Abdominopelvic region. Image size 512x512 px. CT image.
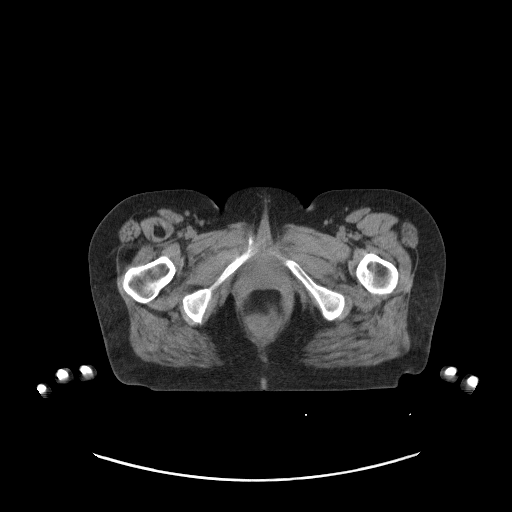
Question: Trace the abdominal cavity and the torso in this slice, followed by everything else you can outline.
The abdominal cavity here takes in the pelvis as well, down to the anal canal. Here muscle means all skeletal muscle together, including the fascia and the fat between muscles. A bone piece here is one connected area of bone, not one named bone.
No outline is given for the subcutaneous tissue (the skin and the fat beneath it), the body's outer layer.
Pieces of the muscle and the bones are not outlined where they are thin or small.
Answer: Outlines:
abdominal cavity: 262 254; 266 254; 287 275; 289 279; 290 298; 285 315; 281 323; 267 339; 260 341; 259 339; 252 335; 250 330; 248 329; 248 326; 246 325; 245 321; 246 320; 242 313; 240 307; 240 300; 238 297; 238 283; 245 270; 254 260
torso: 252 185; 286 189; 304 206; 327 190; 389 188; 412 196; 430 212; 444 242; 446 269; 429 357; 420 373; 404 374; 394 388; 349 391; 154 391; 115 377; 89 283; 88 247; 99 222; 122 199; 144 191; 193 189; 221 207; 230 193
right arm 1: 63 367; 68 367; 72 371; 72 372; 73 373; 73 381; 71 383; 70 383; 69 384; 66 384; 65 385; 60 385; 59 384; 58 384; 55 381; 55 375; 56 374; 56 372; 59 369; 61 369
right arm 2: 89 363; 93 365; 96 368; 97 370; 97 374; 96 376; 93 379; 91 380; 88 380; 87 381; 82 381; 80 380; 79 378; 79 376; 78 375; 78 372; 79 371; 79 369; 82 365; 85 365
right arm 3: 43 382; 45 382; 46 383; 47 383; 50 386; 50 387; 51 388; 51 390; 52 391; 51 392; 51 394; 49 396; 49 397; 46 399; 43 397; 43 396; 41 393; 40 393; 37 391; 37 386; 38 385; 39 385; 40 384; 41 384
left arm 1: 444 365; 450 365; 455 368; 457 368; 458 370; 458 372; 459 373; 458 374; 458 377; 457 379; 454 382; 447 382; 446 381; 444 381; 442 380; 440 378; 439 376; 439 371; 441 367; 442 367
left arm 2: 467 373; 471 373; 474 376; 477 377; 477 383; 476 384; 475 387; 473 389; 472 392; 470 394; 467 394; 466 393; 465 393; 463 391; 462 391; 460 389; 460 388; 459 387; 459 385; 460 384; 460 382; 461 381; 462 378
muscle: 363 206; 387 206; 404 212; 418 231; 418 259; 407 314; 410 346; 403 355; 369 366; 306 365; 299 354; 324 322; 307 308; 303 310; 297 297; 289 322; 265 347; 265 353; 258 356; 257 346; 246 337; 237 318; 230 293; 203 326; 224 360; 222 365; 163 366; 144 361; 134 353; 115 267; 118 231; 134 212; 173 208; 199 230; 243 221; 277 235; 289 222; 327 233; 342 215 with holes at 262 254; 266 254; 287 275; 289 279; 290 298; 285 315; 281 323; 267 339; 260 341; 259 339; 252 335; 250 330; 248 329; 248 326; 246 325; 245 321; 246 320; 242 313; 240 307; 240 300; 238 297; 238 283; 245 270; 254 260 and at 161 255; 165 255; 167 256; 173 262; 176 268; 176 271; 172 279; 165 286; 164 286; 160 290; 159 293; 149 302; 147 303; 140 303; 137 302; 126 293; 122 286; 122 280; 125 272; 128 268; 132 266; 137 266; 141 264; 145 264 and at 369 252; 374 253; 380 256; 382 258; 391 262; 394 264; 397 268; 397 270; 398 271; 398 282; 396 287; 391 293; 389 294; 383 294; 382 295; 372 294; 369 292; 357 280; 355 275; 355 269; 356 268; 356 266; 364 254 and at 250 236; 252 236; 254 243; 257 247; 257 252; 245 261; 212 292; 211 298; 208 302; 202 318; 202 323; 195 323; 186 315; 183 309; 183 297; 186 294; 200 288; 209 287; 216 280; 225 267; 236 256; 241 254; 247 248; 248 238 and at 282 259; 291 259; 295 261; 299 264; 304 271; 317 284; 341 293; 344 296; 345 299; 345 304; 342 313; 335 319; 331 321; 327 320; 322 315; 322 313; 315 299; 308 291; 302 282; 297 278; 283 263; 283 260
bones 1: 161 255; 165 255; 167 256; 173 262; 176 268; 176 271; 172 279; 165 286; 164 286; 160 290; 159 293; 149 302; 147 303; 140 303; 137 302; 126 293; 122 286; 122 280; 125 272; 128 268; 132 266; 137 266; 141 264; 145 264
bones 2: 369 252; 374 253; 380 256; 382 258; 391 262; 394 264; 397 268; 397 270; 398 271; 398 282; 396 287; 391 293; 389 294; 383 294; 382 295; 372 294; 369 292; 357 280; 355 275; 355 269; 356 268; 356 266; 364 254
bones 3: 250 236; 252 236; 254 243; 257 247; 257 252; 245 261; 212 292; 211 298; 208 302; 202 318; 202 323; 195 323; 186 315; 183 309; 183 297; 186 294; 200 288; 209 287; 216 280; 225 267; 236 256; 241 254; 247 248; 248 238
bones 4: 282 259; 291 259; 295 261; 299 264; 304 271; 317 284; 341 293; 344 296; 345 299; 345 304; 342 313; 335 319; 331 321; 327 320; 322 315; 322 313; 315 299; 308 291; 302 282; 297 278; 283 263; 283 260
bones 5: 473 375; 474 376; 475 376; 476 377; 477 377; 477 383; 476 384; 476 385; 475 386; 475 387; 474 388; 472 388; 471 387; 470 387; 469 386; 468 386; 467 385; 467 384; 466 383; 466 380; 470 376; 472 376
bones 6: 59 369; 63 369; 64 370; 65 370; 68 373; 68 377; 66 379; 64 379; 63 380; 60 380; 57 377; 57 376; 56 375; 56 372
bones 7: 82 365; 86 365; 87 366; 88 366; 91 369; 91 370; 92 371; 92 374; 91 375; 87 375; 86 376; 84 376; 82 374; 82 373; 80 371; 80 370; 79 369; 80 368; 80 367
bones 8: 451 366; 452 366; 453 367; 454 367; 456 369; 456 372; 455 373; 455 374; 453 376; 452 376; 451 377; 450 377; 449 376; 446 376; 444 374; 444 372; 445 371; 445 370; 448 367; 450 367